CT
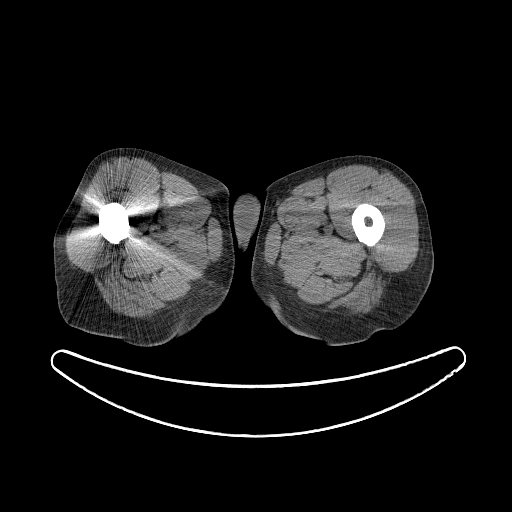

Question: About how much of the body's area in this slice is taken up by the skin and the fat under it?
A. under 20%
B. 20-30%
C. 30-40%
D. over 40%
Answer: C. 30-40%
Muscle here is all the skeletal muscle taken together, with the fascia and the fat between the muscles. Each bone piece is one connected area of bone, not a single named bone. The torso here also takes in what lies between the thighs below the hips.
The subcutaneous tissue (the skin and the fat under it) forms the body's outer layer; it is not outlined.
{"left_leg":[[[356,154],[386,159],[403,169],[417,184],[428,214],[434,253],[434,267],[430,284],[417,309],[402,325],[395,329],[377,331],[361,342],[346,345],[328,345],[319,340],[292,332],[261,304],[250,280],[251,261],[267,186],[278,178],[304,167],[327,159]]],"muscle":[{"outer":[[119,156],[144,158],[165,170],[187,179],[207,195],[213,213],[222,229],[223,250],[220,259],[213,264],[207,275],[183,299],[151,320],[132,318],[112,311],[103,300],[94,279],[75,270],[66,255],[64,239],[80,209],[83,197],[92,177],[101,162]],"hole":[[113,201],[119,202],[126,208],[127,208],[127,211],[128,212],[128,219],[130,224],[129,237],[126,237],[124,238],[117,244],[113,244],[109,242],[101,234],[101,232],[100,231],[100,227],[98,222],[98,210],[102,203],[108,203]]},{"outer":[[351,164],[373,165],[387,169],[404,183],[415,200],[419,226],[419,251],[413,266],[396,274],[386,286],[381,304],[373,312],[364,315],[318,310],[299,302],[278,282],[263,258],[264,242],[271,223],[271,213],[284,195],[302,182],[325,175],[338,167]],"hole":[[360,203],[369,203],[377,207],[382,213],[382,215],[384,218],[384,221],[385,222],[385,228],[384,229],[383,234],[380,239],[374,245],[372,246],[367,246],[364,243],[358,240],[353,230],[353,228],[351,224],[351,214],[353,210],[356,207],[356,206]]}],"bones":[[[360,203],[369,203],[377,207],[382,213],[382,215],[384,218],[384,221],[385,222],[385,228],[384,229],[383,234],[380,239],[374,245],[372,246],[367,246],[364,243],[358,240],[353,230],[353,228],[351,224],[351,214],[353,210],[356,207],[356,206]],[[113,201],[119,202],[126,208],[127,208],[127,211],[128,212],[128,219],[130,224],[129,237],[126,237],[124,238],[117,244],[113,244],[109,242],[101,234],[101,232],[100,231],[100,227],[98,222],[98,210],[102,203],[108,203]]],"right_leg":[[[118,147],[135,147],[149,150],[207,173],[225,184],[230,194],[229,222],[234,241],[235,266],[229,291],[220,307],[203,319],[192,330],[159,345],[134,345],[121,339],[91,334],[72,327],[64,321],[57,305],[53,261],[55,230],[90,161],[101,152]]],"torso":[[[243,191],[251,191],[255,193],[258,196],[260,201],[260,211],[258,221],[250,243],[244,252],[241,251],[237,247],[237,241],[235,239],[234,240],[235,233],[233,230],[232,232],[233,221],[231,217],[230,222],[230,210],[232,209],[233,202],[236,196]]]}